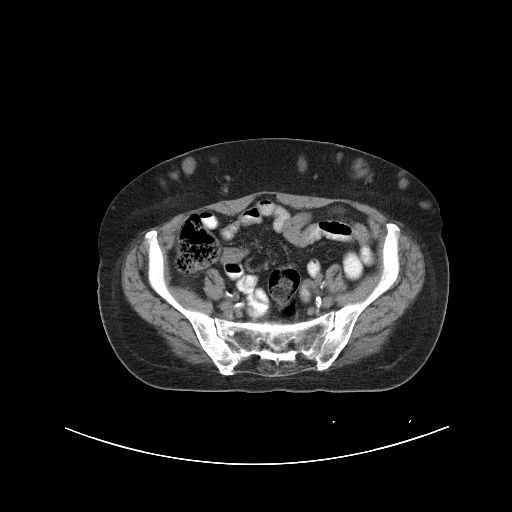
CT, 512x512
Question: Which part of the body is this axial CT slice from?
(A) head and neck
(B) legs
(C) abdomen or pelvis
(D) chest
Answer: (C) abdomen or pelvis
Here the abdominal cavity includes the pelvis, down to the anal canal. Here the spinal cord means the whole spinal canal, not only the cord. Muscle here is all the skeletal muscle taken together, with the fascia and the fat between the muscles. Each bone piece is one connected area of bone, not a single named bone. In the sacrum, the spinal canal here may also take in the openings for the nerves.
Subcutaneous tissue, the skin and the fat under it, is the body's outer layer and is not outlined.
The bones are outlined by 387,223 400,229 398,275 359,314 347,343 321,371 313,358 301,353 294,361 277,363 252,354 238,362 232,375 221,374 188,319 148,281 144,235 156,230 167,288 183,307 238,322 306,321 369,295 382,273. The muscle appears in 2 outlined pieces: piece 1: 262,190 358,201 402,222 409,230 423,254 424,282 378,352 322,371 332,365 346,346 360,314 393,285 400,271 401,229 394,222 387,222 377,283 364,299 335,309 326,286 328,268 337,264 346,289 351,290 378,266 378,239 368,215 341,201 294,207 277,200 273,194 261,194 234,213 214,209 189,213 173,232 167,252 170,283 187,287 206,299 207,271 217,270 224,282 223,295 210,301 219,316 185,307 175,298 165,278 165,258 158,231 150,229 143,235 149,286 187,319 219,373 174,355 153,326 132,309 122,289 121,267 130,243 141,231 182,212; piece 2: 298,354 303,355 309,360 313,359 315,361 315,366 318,371 310,370 292,375 287,378 264,377 245,373 234,374 235,373 234,368 239,362 252,355 258,356 261,360 270,360 277,364 279,362 294,362. The spinal cord appears in 3 outlined pieces: piece 1: 271,348 272,348 273,349 282,349 284,351 283,351 282,352 275,352 274,351 272,351 270,349; piece 2: 292,342 293,343 293,344 294,345 294,346 294,347 294,348 293,348 292,348 291,348 290,348 289,349 288,349 287,350 286,349 286,348 287,348 288,347 289,346 289,345 290,344 291,343; piece 3: 263,343 264,343 265,344 266,345 267,346 268,347 268,348 267,348 266,348 265,347 264,347 263,348 262,348 261,348 261,347 261,346 262,345 262,344. The torso is outlined by 263,137 333,142 371,153 409,171 436,199 443,222 442,237 449,262 447,308 432,352 418,372 405,383 382,391 348,392 161,389 136,378 112,349 98,307 97,241 103,216 113,198 132,179 161,161 214,143. The abdominal cavity is outlined by 261,195 294,208 341,202 366,214 377,239 375,271 347,289 341,267 331,264 325,286 335,308 306,320 218,317 211,301 224,295 225,282 217,269 206,271 206,298 171,283 168,252 174,232 191,213 234,214.